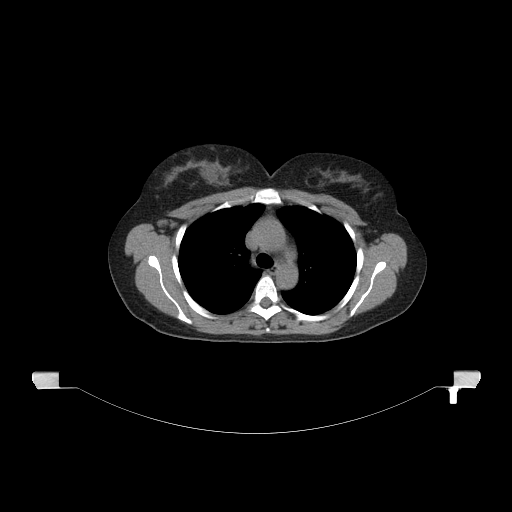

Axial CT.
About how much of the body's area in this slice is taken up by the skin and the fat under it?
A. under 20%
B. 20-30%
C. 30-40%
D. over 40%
C. 30-40%
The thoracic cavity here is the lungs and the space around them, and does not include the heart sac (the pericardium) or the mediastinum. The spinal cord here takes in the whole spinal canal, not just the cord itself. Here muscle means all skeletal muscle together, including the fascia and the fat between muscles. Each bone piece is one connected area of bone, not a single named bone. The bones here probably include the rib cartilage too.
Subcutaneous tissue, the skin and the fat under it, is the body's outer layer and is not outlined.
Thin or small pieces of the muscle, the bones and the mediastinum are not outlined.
{"muscle":[{"outer":[[289,188],[328,194],[351,206],[367,223],[359,227],[367,244],[383,233],[403,238],[406,265],[397,276],[394,293],[381,304],[325,334],[212,334],[195,330],[180,321],[189,325],[190,325],[193,321],[167,290],[156,255],[149,254],[147,263],[157,271],[163,293],[176,308],[175,317],[160,311],[137,289],[132,262],[124,255],[125,239],[134,226],[150,223],[169,236],[177,228],[174,247],[178,253],[171,255],[172,270],[184,286],[187,304],[199,315],[215,319],[214,314],[229,314],[248,303],[246,310],[266,321],[283,310],[300,322],[327,319],[326,312],[341,309],[356,290],[364,252],[360,246],[355,248],[356,234],[346,220],[338,221],[295,194],[285,195],[294,203],[284,202],[276,189]],"hole":[[379,261],[384,261],[386,264],[385,267],[375,275],[373,280],[372,287],[370,291],[364,298],[362,302],[358,306],[354,314],[351,317],[349,317],[350,310],[359,300],[362,294],[363,294],[367,290],[370,283],[371,275],[374,270],[375,265]]},[[245,186],[252,186],[259,188],[253,193],[225,200],[220,204],[215,206],[210,211],[197,218],[188,226],[186,222],[183,222],[180,225],[181,223],[180,218],[178,219],[166,215],[167,212],[173,210],[191,200],[200,198],[213,193],[228,191]]],"bones":[{"outer":[[264,275],[268,275],[271,277],[282,300],[289,307],[308,315],[318,315],[327,313],[329,315],[328,317],[318,321],[305,320],[300,321],[297,320],[296,317],[292,313],[283,309],[275,313],[266,320],[257,313],[248,311],[247,307],[255,286],[261,276]],"hole":[[265,297],[266,297],[267,298],[268,298],[271,301],[271,304],[268,307],[263,307],[260,304],[260,302],[261,301],[261,300],[263,298],[264,298]]},[[266,187],[274,188],[278,192],[283,201],[282,204],[273,204],[272,203],[271,204],[264,204],[259,202],[247,202],[244,204],[236,204],[230,207],[224,207],[214,211],[211,211],[215,207],[220,205],[225,201],[253,194],[260,188],[265,188]],[[149,255],[154,255],[158,259],[162,273],[162,281],[163,284],[166,290],[177,302],[185,315],[192,321],[190,324],[182,320],[180,320],[176,317],[178,313],[177,308],[173,302],[164,293],[160,285],[158,271],[154,267],[149,265],[148,263],[148,257]],[[359,247],[362,249],[362,251],[363,252],[363,263],[359,272],[359,280],[358,281],[358,284],[356,286],[355,290],[348,301],[341,308],[337,310],[335,310],[334,309],[334,307],[347,292],[355,276],[356,264],[357,263],[356,250],[357,248]],[[379,261],[384,261],[386,264],[385,267],[375,275],[373,280],[372,287],[370,291],[364,298],[362,302],[358,306],[354,314],[351,317],[349,317],[350,310],[359,300],[362,294],[363,294],[367,290],[370,283],[371,275],[374,270],[375,265]],[[184,288],[187,291],[189,295],[199,305],[200,305],[202,307],[203,307],[205,309],[206,309],[208,311],[209,311],[211,313],[215,315],[216,317],[215,318],[208,318],[207,317],[205,317],[199,314],[193,309],[192,309],[188,304],[183,294],[183,289]],[[286,195],[295,195],[296,196],[301,197],[302,198],[307,200],[312,204],[314,204],[317,207],[318,207],[321,210],[321,211],[322,212],[321,213],[319,213],[318,212],[317,212],[304,205],[301,205],[300,204],[297,204],[293,201],[286,198]],[[183,223],[186,223],[187,225],[187,227],[181,239],[181,241],[180,242],[180,245],[179,246],[179,249],[178,251],[176,250],[176,248],[175,247],[175,238],[176,237],[176,233],[177,232],[177,230],[178,228]],[[173,254],[176,254],[177,256],[177,264],[178,265],[178,269],[179,270],[179,273],[180,274],[180,276],[183,283],[182,286],[180,285],[177,281],[175,274],[174,273],[174,271],[173,270],[173,267],[172,266],[172,261],[171,260],[171,258]],[[344,221],[346,221],[350,225],[350,226],[353,229],[353,230],[354,231],[354,233],[355,234],[355,242],[354,243],[353,242],[353,241],[352,240],[351,237],[349,235],[348,232],[346,230],[346,229],[344,227],[344,226],[343,225],[343,222]]],"thoracic_cavity":[[[248,203],[264,205],[263,210],[244,236],[244,245],[249,251],[249,264],[253,268],[260,270],[260,277],[254,286],[249,301],[242,307],[229,313],[213,313],[199,304],[190,295],[184,285],[178,264],[181,242],[187,228],[205,214],[236,205],[246,205]],[[293,204],[304,206],[319,214],[325,214],[341,223],[350,237],[355,249],[356,263],[352,281],[339,301],[324,313],[304,313],[289,306],[283,300],[280,294],[282,291],[289,291],[295,288],[299,281],[298,246],[294,236],[277,215],[277,211],[280,208]]],"torso":[[[209,142],[246,149],[269,173],[289,158],[310,151],[350,155],[379,169],[392,184],[397,209],[427,256],[425,278],[412,304],[397,317],[361,334],[323,342],[212,342],[174,337],[144,325],[128,311],[114,286],[107,263],[109,238],[161,160],[181,148]]],"mediastinum":[[[284,203],[291,204],[280,207],[276,211],[276,215],[295,240],[298,251],[298,281],[295,287],[292,289],[282,290],[279,293],[272,277],[268,274],[261,275],[261,270],[253,267],[250,264],[250,251],[245,245],[245,236],[264,210],[265,205],[282,205]]],"spinal_cord":[[[265,297],[266,297],[267,298],[268,298],[271,301],[271,304],[268,307],[263,307],[260,304],[260,302],[261,301],[261,300],[263,298],[264,298]]]}